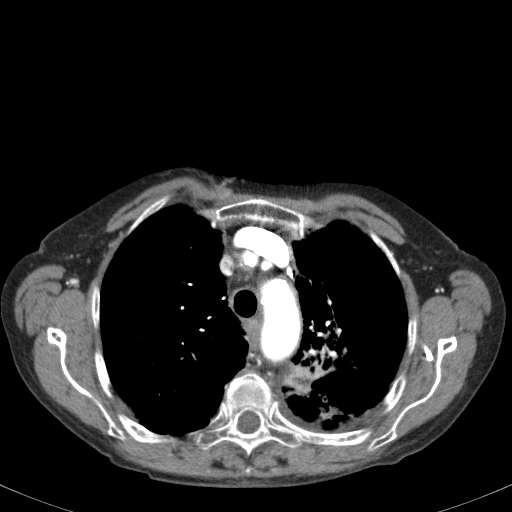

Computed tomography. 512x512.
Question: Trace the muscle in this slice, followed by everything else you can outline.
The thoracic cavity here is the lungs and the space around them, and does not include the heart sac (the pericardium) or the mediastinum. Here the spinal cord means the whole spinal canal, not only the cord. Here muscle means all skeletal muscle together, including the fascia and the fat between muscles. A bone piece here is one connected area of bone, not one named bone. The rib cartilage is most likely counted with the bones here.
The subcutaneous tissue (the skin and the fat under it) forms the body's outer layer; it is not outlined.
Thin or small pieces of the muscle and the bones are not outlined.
Answer: The muscle is outlined by 181,175 274,196 355,194 393,216 407,242 394,245 393,252 372,229 366,233 344,219 316,220 260,195 196,210 184,203 167,205 172,195 161,195 127,227 100,286 94,281 90,288 91,319 102,348 93,352 97,380 108,398 114,398 113,388 135,419 118,410 118,424 71,375 66,333 52,325 45,330 47,342 59,351 63,375 98,407 109,436 125,441 126,434 140,443 158,444 176,443 176,436 186,434 202,450 228,441 248,457 269,441 292,449 303,443 363,443 374,432 370,425 347,430 378,404 383,406 381,415 395,406 407,384 406,371 398,373 400,364 417,341 418,315 408,316 398,261 421,301 448,295 449,275 458,269 477,273 489,290 491,310 460,391 380,458 338,472 202,478 154,470 118,455 97,429 42,388 32,342 16,324 15,295 31,271 50,263 65,268 65,287 85,291 113,236 103,230 112,214 150,186; inner edges: 452,335 456,337 457,345 453,351 443,356 440,364 440,380 433,393 403,415 396,427 397,436 395,439 373,450 368,450 367,447 371,440 387,431 406,406 420,399 430,390 436,375 434,364 437,341 439,338, then 248,465 249,465 250,466 251,466 251,467 252,468 251,469 251,470 250,471 250,472 249,473 248,473 247,473 246,473 245,472 244,471 244,470 244,469 245,468 246,467 246,466 247,466. The thoracic cavity appears in 2 outlined pieces: piece 1: 174,204 184,204 218,225 222,246 218,267 224,277 225,297 228,307 239,321 248,345 244,366 224,385 216,413 205,426 183,435 159,433 136,420 112,385 103,355 100,332 101,285 114,254 122,241 144,220; piece 2: 335,220 347,221 364,232 384,254 400,281 408,317 406,343 395,377 375,409 366,418 344,431 317,431 288,419 281,412 274,392 286,378 287,368 298,351 303,331 296,287 299,271 292,244 301,232 319,230. The bones appear in 10 outlined pieces: piece 1: 247,371 253,371 265,380 278,402 280,412 294,424 317,432 344,432 370,426 373,432 363,442 353,445 303,442 292,448 269,440 257,446 248,456 244,449 228,440 202,449 187,434 208,424 218,411 225,385 with a hole at 247,411 252,412 254,414 255,414 258,417 259,419 259,425 257,427 257,428 254,431 252,432 249,432 248,433 243,432 241,431 238,428 238,420 240,416 241,416 245,412; piece 2: 260,196 288,207 316,221 327,223 325,226 319,229 309,231 291,230 282,225 278,226 262,223 259,221 243,219 238,219 230,223 226,222 219,225 214,221 198,214 196,212 197,210 212,208 215,209 250,197; piece 3: 49,326 60,328 66,335 65,364 70,375 102,404 118,425 116,414 119,411 153,432 175,436 177,441 149,443 137,441 126,433 125,440 109,435 108,422 99,407 79,392 64,375 60,351 47,340 46,330; piece 4: 452,335 456,337 457,345 453,351 443,356 440,364 440,380 433,393 403,415 396,427 397,436 395,439 373,450 368,450 367,447 371,440 387,431 406,406 420,399 430,390 436,375 434,364 437,341 439,338; piece 5: 404,370 405,371 405,374 406,375 406,384 402,392 401,396 394,405 394,406 389,411 388,411 385,414 381,414 381,412 384,408 384,406 382,404 380,404 380,402 388,392 391,386 391,384 396,377 396,376; piece 6: 96,347 98,347 102,352 102,355 105,362 105,366 107,370 107,373 109,376 111,382 111,385 112,386 111,390 113,393 113,398 108,397 98,380 97,374 96,373 96,369 95,368 95,363 94,362 94,352; piece 7: 165,194 170,194 171,195 170,198 167,202 167,204 159,210 156,211 154,213 153,213 151,215 144,219 127,236 126,236 124,238 128,227 136,219 136,218 143,211 143,210 155,200 156,200 158,198; piece 8: 369,230 372,230 375,232 376,234 385,242 389,249 393,253 394,257 397,261 397,263 400,269 401,280 403,284 402,285 401,281 397,276 385,254 376,245 372,239 367,234 367,232; piece 9: 94,282 96,282 99,285 99,286 100,287 100,290 99,291 99,329 98,330 97,330 94,327 94,325 93,324 93,320 92,319 92,314 91,313 91,288 92,287 92,284; piece 10: 413,314 416,314 417,315 417,331 416,332 416,341 415,342 415,344 414,345 414,347 413,348 413,350 412,351 411,354 410,355 408,355 406,352 406,344 407,343 407,330 408,329 408,320 409,319 409,318. The torso is outlined by 185,165 272,183 375,186 419,212 493,270 506,306 500,348 470,402 441,436 397,463 329,481 274,488 192,486 153,480 112,464 34,397 15,367 0,317 0,294 11,268 34,251 50,230 111,191 148,173. The spinal cord is outlined by 247,411 252,412 254,414 255,414 258,417 259,419 259,425 257,427 257,428 254,431 252,432 249,432 248,433 243,432 241,431 238,428 238,420 240,416 241,416 245,412. The mediastinum is outlined by 238,220 282,226 300,232 291,245 298,271 295,287 299,299 302,331 297,351 286,368 285,378 273,393 266,380 257,372 247,370 238,374 245,366 249,345 239,319 228,305 225,277 219,267 223,249 219,226.